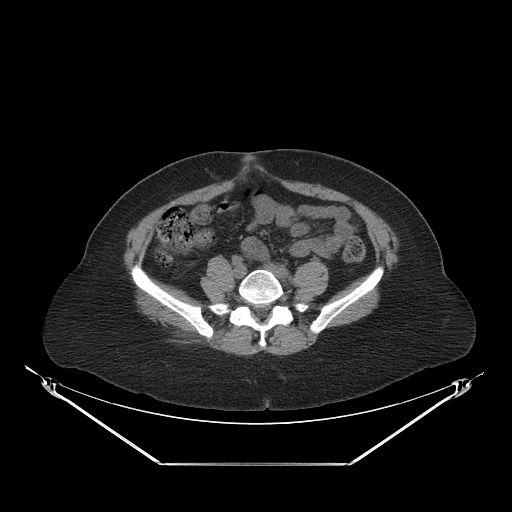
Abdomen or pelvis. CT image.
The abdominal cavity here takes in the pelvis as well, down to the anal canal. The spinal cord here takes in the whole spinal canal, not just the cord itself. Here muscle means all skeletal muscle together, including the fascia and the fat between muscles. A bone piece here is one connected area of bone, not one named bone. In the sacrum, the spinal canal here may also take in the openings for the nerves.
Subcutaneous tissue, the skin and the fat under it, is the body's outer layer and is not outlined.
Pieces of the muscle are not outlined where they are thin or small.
Outlines (x, y in pixels):
muscle 1: 247 165; 256 165; 262 167; 264 168; 266 171; 283 179; 295 180; 296 181; 301 181; 308 183; 319 183; 328 188; 331 188; 342 193; 344 193; 361 202; 364 205; 374 211; 392 228; 399 242; 399 246; 398 247; 399 257; 397 263; 393 267; 392 270; 389 273; 389 275; 388 275; 381 283; 380 300; 378 303; 378 306; 375 308; 371 313; 358 319; 356 321; 348 324; 335 326; 326 329; 318 338; 315 343; 311 346; 298 352; 287 355; 275 355; 267 352; 260 351; 255 354; 252 354; 248 356; 244 356; 243 355; 236 355; 232 353; 227 353; 221 350; 214 349; 209 346; 190 345; 184 347; 183 346; 175 345; 173 343; 167 342; 165 341; 166 338; 161 326; 154 322; 144 314; 134 301; 134 297; 133 296; 134 289; 127 276; 126 270; 123 263; 123 254; 125 251; 126 235; 128 231; 132 227; 135 226; 144 216; 154 209; 163 204; 167 203; 170 200; 176 198; 183 193; 186 193; 189 191; 201 188; 212 183; 231 179; 239 174, around holes outlined by 250 171; 291 192; 351 206; 365 223; 373 267; 384 267; 370 291; 314 333; 309 326; 324 304; 314 301; 327 288; 329 272; 317 258; 300 264; 291 277; 293 296; 283 296; 293 319; 268 329; 263 348; 257 330; 207 306; 240 303; 234 270; 222 255; 208 260; 199 280; 208 301; 146 272; 173 297; 201 307; 213 329; 209 339; 138 287; 130 272; 137 263; 143 266; 167 209; 209 201 and by 299 302; 301 302; 302 303; 305 303; 306 304; 307 304; 308 305; 308 307; 307 308; 307 309; 306 310; 305 310; 303 312; 300 312; 299 311; 298 311; 297 310; 296 310; 293 307; 293 305; 295 303; 298 303
muscle 2: 366 274; 368 274; 365 277; 365 278; 358 285; 357 285; 354 288; 353 288; 349 292; 348 292; 343 296; 337 299; 335 299; 332 301; 328 301; 326 302; 338 291; 342 290; 346 286; 350 284; 353 281; 356 280; 358 278
bones 1: 255 269; 266 269; 275 275; 284 291; 283 302; 293 316; 289 324; 276 324; 265 332; 266 345; 263 348; 258 343; 260 334; 257 330; 248 325; 237 326; 229 321; 227 313; 217 315; 207 306; 228 303; 234 308; 240 303; 240 282; inner edge: 257 305; 267 305; 268 306; 269 306; 269 310; 268 311; 268 314; 267 315; 267 316; 264 319; 259 319; 257 317; 256 317; 255 316; 255 313; 254 312; 254 311; 253 310; 253 309
bones 2: 137 263; 140 263; 142 268; 146 272; 148 276; 157 285; 170 295; 183 302; 201 307; 201 312; 203 318; 213 329; 213 335; 211 338; 208 339; 206 337; 201 335; 181 315; 167 306; 163 305; 159 301; 135 284; 130 272; 131 268
bones 3: 379 265; 381 265; 384 267; 384 273; 379 282; 370 291; 348 305; 336 315; 327 324; 326 327; 320 332; 314 333; 310 330; 309 328; 310 324; 318 315; 322 306; 324 304; 337 300; 349 293; 358 286; 375 267
bones 4: 299 302; 301 302; 302 303; 305 303; 306 304; 307 304; 308 305; 308 307; 307 308; 307 309; 306 310; 305 310; 303 312; 300 312; 299 311; 298 311; 297 310; 296 310; 293 307; 293 305; 295 303; 298 303
torso: 278 148; 311 149; 351 160; 391 182; 415 204; 436 237; 446 274; 475 315; 476 337; 465 356; 362 396; 282 411; 224 411; 163 402; 87 371; 58 366; 48 357; 42 343; 48 304; 80 261; 96 224; 125 191; 161 167; 194 154
spinal cord: 257 305; 267 305; 268 306; 269 306; 269 310; 268 311; 268 314; 267 315; 267 316; 264 319; 259 319; 257 317; 256 317; 255 316; 255 313; 254 312; 254 311; 253 310; 253 309
abdominal cavity: 250 171; 291 192; 351 206; 365 223; 373 268; 324 303; 314 301; 327 288; 329 272; 317 258; 296 268; 291 299; 266 268; 247 273; 237 294; 234 270; 220 254; 208 260; 199 280; 208 301; 150 274; 143 260; 167 209; 209 201